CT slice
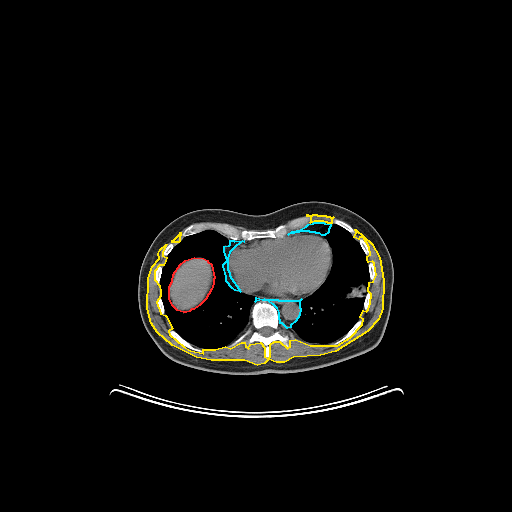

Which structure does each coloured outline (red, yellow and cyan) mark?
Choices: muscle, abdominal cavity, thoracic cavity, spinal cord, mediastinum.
red: abdominal cavity; yellow: muscle; cyan: mediastinum.
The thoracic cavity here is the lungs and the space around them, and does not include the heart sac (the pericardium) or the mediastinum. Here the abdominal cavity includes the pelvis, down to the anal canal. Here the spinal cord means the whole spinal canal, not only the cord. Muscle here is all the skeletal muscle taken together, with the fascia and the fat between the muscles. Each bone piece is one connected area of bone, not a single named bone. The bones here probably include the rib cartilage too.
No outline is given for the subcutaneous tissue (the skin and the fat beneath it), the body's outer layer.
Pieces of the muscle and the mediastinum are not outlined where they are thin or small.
Outlines (x, y in pixels):
abdominal cavity: 194 257; 203 258; 207 260; 207 261; 211 264; 214 278; 213 279; 213 283; 211 289; 205 299; 199 305; 193 309; 191 309; 189 311; 186 312; 183 312; 177 310; 172 305; 169 298; 169 286; 172 281; 173 274; 180 264; 185 260
muscle 1: 355 229; 371 243; 379 257; 383 280; 382 308; 378 319; 367 331; 335 351; 320 355; 293 357; 284 362; 276 362; 268 359; 264 363; 257 365; 244 360; 211 360; 196 357; 172 345; 157 332; 151 323; 147 308; 148 278; 152 266; 159 258; 158 253; 160 249; 166 244; 162 251; 162 255; 166 257; 165 261; 163 265; 159 265; 154 271; 154 279; 159 285; 160 291; 160 296; 156 302; 160 313; 165 315; 172 328; 168 331; 169 334; 183 346; 190 350; 203 353; 203 349; 215 349; 225 346; 230 348; 241 342; 244 342; 245 346; 248 348; 250 344; 260 342; 264 347; 264 356; 268 358; 270 356; 270 344; 274 341; 279 341; 287 348; 290 346; 290 340; 295 339; 310 345; 337 345; 350 337; 362 324; 363 319; 360 317; 363 310; 366 311; 368 309; 370 303; 371 294; 368 291; 369 282; 373 281; 376 275; 374 263; 372 261; 368 262; 367 260; 367 256; 370 254; 369 247; 363 237; 359 237; 358 239; 354 237; 356 232
muscle 2: 313 214; 316 214; 317 215; 325 215; 326 216; 329 216; 330 217; 333 217; 331 219; 331 223; 328 223; 327 222; 324 222; 323 221; 314 221; 313 222; 310 222; 311 221; 311 217; 310 216; 309 216; 308 215; 306 215; 312 215
muscle 3: 180 232; 180 235; 179 236; 179 241; 178 242; 173 242; 172 241; 171 241; 172 241; 180 233
mediastinum 1: 256 297; 262 299; 277 299; 278 300; 299 300; 301 299; 299 301; 299 307; 300 308; 299 315; 295 321; 290 325; 290 327; 287 328; 282 323; 280 323; 280 320; 279 319; 279 312; 277 308; 273 304; 264 299; 255 301; 256 300
mediastinum 2: 230 240; 233 240; 234 241; 242 240; 244 241; 240 242; 234 247; 229 252; 227 258; 227 269; 229 272; 229 275; 240 291; 235 290; 232 288; 226 281; 226 276; 223 266; 223 264; 227 260; 224 251; 224 246; 229 245; 230 244
mediastinum 3: 314 222; 323 222; 324 223; 330 224; 330 226; 328 229; 328 232; 324 235; 322 235; 319 233; 316 233; 315 232; 310 232; 309 231; 299 231; 298 232; 294 232; 293 233; 288 234; 292 231; 300 229; 306 226; 308 224; 313 223
pericardium: 299 232; 309 232; 323 236; 327 241; 331 250; 332 254; 331 267; 324 281; 317 289; 306 297; 299 299; 262 298; 255 295; 249 295; 239 289; 230 275; 230 272; 228 269; 229 254; 234 248; 240 243; 245 241; 282 238; 290 234
thoracic cavity 1: 206 230; 213 230; 229 240; 229 244; 223 246; 226 258; 222 264; 225 281; 235 291; 255 297; 249 311; 250 323; 246 329; 228 344; 215 348; 202 348; 193 345; 173 329; 165 314; 159 284; 163 266; 167 256; 173 248; 183 238; inner edge: 194 257; 203 258; 207 260; 207 261; 211 264; 214 278; 213 279; 213 283; 211 289; 205 299; 199 305; 193 309; 191 309; 189 311; 186 312; 183 312; 177 310; 172 305; 169 298; 169 286; 172 281; 173 274; 180 264; 185 260
thoracic cavity 2: 331 224; 343 228; 357 240; 366 256; 369 281; 364 296; 362 312; 358 320; 336 341; 330 344; 310 344; 296 338; 295 335; 287 329; 291 327; 300 315; 300 301; 317 290; 325 281; 331 270; 333 254; 331 247; 324 236; 329 232
spinal cord: 265 326; 268 326; 269 327; 271 327; 274 330; 273 331; 273 332; 270 335; 269 335; 268 336; 265 336; 264 335; 262 335; 260 333; 260 332; 259 331; 259 330; 262 327; 264 327
torso: 306 201; 329 202; 345 207; 367 220; 383 239; 391 256; 394 278; 389 318; 379 343; 371 350; 347 360; 294 373; 256 375; 215 373; 182 365; 167 357; 146 331; 138 306; 140 267; 157 234; 177 217; 198 209; 219 208; 260 215
bones 1: 262 300; 276 308; 279 323; 288 332; 291 332; 295 338; 289 340; 288 347; 279 340; 272 341; 269 344; 268 357; 265 356; 265 347; 260 341; 254 341; 248 347; 244 341; 228 347; 227 345; 243 333; 250 325; 250 311; 253 304, around a hole outlined by 265 326; 268 326; 269 327; 271 327; 274 330; 273 331; 273 332; 270 335; 269 335; 268 336; 265 336; 264 335; 262 335; 260 333; 260 332; 259 331; 259 330; 262 327; 264 327
bones 2: 301 216; 310 217; 309 223; 300 228; 290 231; 282 237; 234 240; 228 238; 213 229; 206 229; 185 236; 180 240; 181 232; 183 229; 193 223; 218 222; 230 224; 239 230; 242 229; 266 230; 274 229; 280 224; 287 223; 292 219
bones 3: 171 329; 174 330; 182 338; 183 338; 186 341; 190 343; 193 346; 195 346; 196 347; 201 348; 203 350; 203 352; 199 352; 198 351; 196 351; 195 350; 190 349; 188 347; 183 345; 181 343; 177 341; 170 334; 169 331
bones 4: 359 319; 362 319; 362 322; 361 324; 359 326; 359 327; 350 336; 349 336; 347 338; 346 338; 344 340; 343 340; 341 342; 337 344; 335 344; 334 345; 331 345; 332 343; 334 342; 336 342; 340 338; 341 338; 359 320
bones 5: 333 218; 337 218; 338 219; 339 219; 340 220; 342 220; 343 221; 346 222; 348 224; 349 224; 354 229; 354 230; 355 231; 354 234; 353 235; 349 231; 348 231; 343 227; 342 227; 337 224; 334 224; 333 223; 332 223; 332 219
bones 6: 369 262; 372 262; 373 263; 373 264; 374 265; 374 268; 375 269; 375 275; 374 276; 374 279; 373 280; 370 280; 370 279; 369 278; 369 269; 368 268; 368 263
bones 7: 359 238; 363 238; 363 239; 365 241; 365 242; 366 243; 366 244; 368 247; 368 249; 369 250; 369 254; 368 255; 366 255; 365 254; 364 251; 362 249; 362 248; 361 247; 361 246; 360 245; 360 244; 358 241
bones 8: 170 242; 172 242; 173 243; 177 243; 172 248; 172 249; 170 251; 170 252; 166 256; 164 256; 163 255; 163 251; 164 250; 164 249; 165 248; 165 247; 167 245; 167 244; 168 243; 169 243
bones 9: 159 266; 162 266; 162 269; 161 270; 161 276; 160 277; 160 280; 159 281; 159 283; 157 283; 156 282; 156 280; 155 279; 155 271; 156 270; 156 269
bones 10: 367 292; 369 292; 369 293; 370 294; 370 297; 369 298; 369 303; 368 304; 368 306; 367 307; 367 309; 366 310; 365 310; 364 309; 363 309; 364 308; 364 301; 365 300; 365 296; 366 295; 366 293
bones 11: 160 297; 161 298; 161 300; 162 301; 162 303; 163 304; 163 307; 164 308; 164 314; 162 314; 161 313; 161 312; 160 311; 160 309; 159 308; 159 306; 158 305; 158 303; 157 302; 157 300